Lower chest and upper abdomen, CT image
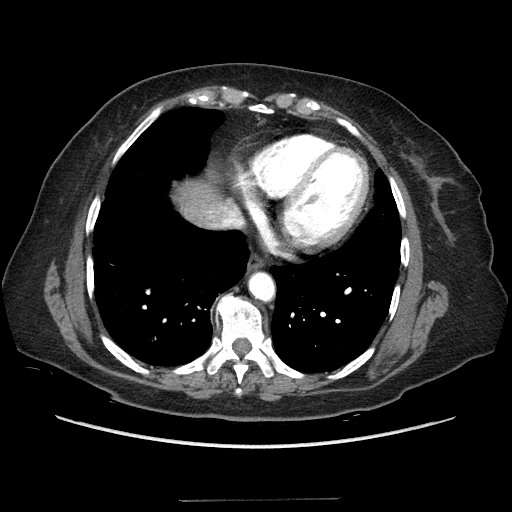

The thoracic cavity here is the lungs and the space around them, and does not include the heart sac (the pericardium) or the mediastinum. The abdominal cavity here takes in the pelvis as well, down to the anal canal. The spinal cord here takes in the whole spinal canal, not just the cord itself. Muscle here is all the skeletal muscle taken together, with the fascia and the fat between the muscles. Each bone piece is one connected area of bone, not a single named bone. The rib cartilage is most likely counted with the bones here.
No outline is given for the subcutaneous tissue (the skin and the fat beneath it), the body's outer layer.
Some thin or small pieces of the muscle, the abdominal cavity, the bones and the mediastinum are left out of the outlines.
pericardium: 259 124; 311 124; 334 129; 351 139; 365 154; 373 173; 371 201; 363 219; 353 233; 335 249; 308 257; 297 263; 270 260; 264 256; 256 242; 254 229; 242 216; 233 196; 226 192; 218 168; 218 156; 223 148; 236 136; 244 134
thoracic cavity 1: 183 106; 220 110; 225 117; 211 133; 202 169; 172 179; 167 198; 173 209; 196 227; 240 230; 249 254; 240 279; 213 301; 213 321; 219 330; 207 349; 183 364; 151 365; 125 351; 103 324; 94 298; 93 232; 118 161; 162 113
thoracic cavity 2: 378 168; 381 169; 388 181; 400 219; 401 230; 400 265; 387 316; 371 344; 339 369; 324 372; 301 371; 284 362; 273 347; 269 327; 275 308; 277 286; 272 274; 272 267; 299 264; 312 258; 320 258; 346 243; 374 203; 374 176
spinal cord: 239 338; 245 338; 246 339; 247 339; 247 340; 250 343; 250 344; 251 345; 251 348; 250 349; 250 350; 242 356; 240 356; 239 355; 238 355; 235 352; 235 351; 232 347; 232 344; 233 343; 233 342; 236 339; 238 339
bones 1: 225 293; 240 296; 259 309; 263 330; 269 333; 274 351; 288 366; 305 373; 304 377; 293 378; 278 372; 266 377; 252 360; 247 362; 240 384; 231 360; 225 361; 213 374; 203 369; 185 374; 171 371; 208 349; 220 330; 212 309; inner edge: 239 338; 245 338; 246 339; 247 339; 247 340; 250 343; 250 344; 251 345; 251 348; 250 349; 250 350; 242 356; 240 356; 239 355; 238 355; 235 352; 235 351; 232 347; 232 344; 233 343; 233 342; 236 339; 238 339
bones 2: 222 85; 247 91; 250 95; 247 100; 251 103; 273 107; 278 96; 294 92; 299 99; 315 100; 320 105; 319 112; 326 116; 276 107; 274 113; 266 114; 245 107; 227 107; 222 101; 190 105; 187 102; 188 94; 204 90; 218 92
bones 3: 158 105; 163 105; 164 107; 163 109; 163 111; 158 116; 158 117; 139 135; 139 136; 134 141; 134 142; 127 149; 127 150; 117 161; 114 167; 112 167; 112 160; 120 145; 127 138; 127 137; 141 122; 141 121; 154 108; 155 108
bones 4: 100 333; 102 333; 109 337; 118 346; 119 346; 125 352; 131 356; 137 362; 138 362; 142 366; 147 368; 150 371; 149 374; 147 375; 144 375; 138 372; 136 372; 118 360; 105 347; 99 337; 99 334
bones 5: 371 345; 374 345; 375 346; 375 350; 374 352; 372 354; 372 355; 357 369; 356 369; 351 373; 348 374; 346 376; 339 378; 338 379; 329 379; 327 378; 327 375; 334 373; 336 371; 339 370; 346 364; 359 356
bones 6: 96 194; 99 194; 100 196; 100 199; 101 200; 100 208; 97 215; 97 218; 94 225; 93 231; 88 236; 87 236; 86 235; 86 232; 85 231; 85 226; 86 225; 86 220; 87 219; 88 209; 89 208; 89 206; 91 203; 92 199
bones 7: 389 174; 393 176; 400 190; 400 192; 403 199; 404 206; 405 207; 405 218; 404 219; 401 219; 400 218; 400 216; 396 206; 396 203; 395 202; 395 200; 391 190; 391 187; 390 186; 389 181; 387 178; 387 175
bones 8: 88 253; 90 253; 91 254; 91 255; 92 256; 92 259; 93 260; 93 282; 94 283; 94 289; 93 290; 93 298; 92 299; 92 300; 91 300; 89 298; 89 296; 88 295; 88 292; 87 291; 87 287; 86 286; 86 256
bones 9: 397 282; 400 284; 400 294; 399 295; 399 300; 398 301; 398 304; 397 305; 396 310; 394 313; 394 315; 392 319; 390 321; 389 321; 388 320; 388 311; 389 310; 389 307; 390 306; 391 298; 392 297; 392 294; 394 290; 394 287
bones 10: 334 117; 340 117; 341 118; 343 118; 347 121; 348 121; 350 123; 351 123; 354 126; 355 126; 364 138; 364 139; 365 140; 365 142; 362 142; 355 136; 352 135; 343 126; 342 126; 340 124; 339 124; 337 122; 336 122; 334 120
bones 11: 402 235; 406 235; 407 236; 407 237; 408 238; 408 241; 409 242; 409 259; 408 260; 408 263; 407 264; 407 266; 406 267; 404 267; 402 265; 401 265; 401 261; 400 260; 400 247; 401 246; 401 239; 402 238
muscle 1: 215 84; 221 85; 218 91; 188 93; 189 105; 166 111; 163 104; 154 107; 117 148; 103 199; 96 193; 90 201; 84 231; 87 237; 92 233; 92 249; 85 256; 85 286; 109 336; 100 332; 99 339; 118 361; 144 376; 151 371; 136 360; 151 366; 173 367; 170 371; 175 375; 203 370; 213 375; 231 361; 239 385; 250 361; 257 364; 266 378; 278 373; 302 379; 306 373; 335 371; 326 378; 338 380; 373 355; 374 339; 386 318; 389 322; 393 319; 399 304; 400 266; 406 268; 410 259; 409 238; 401 229; 401 220; 406 218; 404 199; 396 179; 384 173; 362 143; 366 140; 355 125; 340 116; 304 117; 327 115; 320 112; 321 105; 315 99; 299 98; 298 94; 343 112; 373 137; 409 193; 422 242; 423 279; 440 281; 448 290; 447 310; 435 320; 425 351; 377 386; 357 392; 285 395; 276 401; 222 394; 197 399; 182 391; 102 373; 65 344; 43 297; 46 272; 53 258; 57 263; 66 258; 76 215; 102 165; 153 104; inner edge: 238 386; 239 386; 240 387; 241 388; 241 389; 241 390; 242 391; 242 392; 242 393; 241 394; 241 395; 240 396; 239 396; 238 396; 237 395; 236 395; 235 394; 235 393; 234 392; 234 391; 235 390; 235 389; 236 388; 237 387
muscle 2: 249 92; 251 92; 253 93; 259 98; 262 98; 267 95; 269 95; 275 92; 289 92; 282 93; 278 95; 274 99; 274 101; 273 102; 273 106; 272 105; 268 105; 264 102; 251 102; 249 101; 248 100; 251 96
torso: 219 62; 283 65; 377 87; 401 101; 452 145; 481 186; 480 199; 493 240; 491 267; 507 293; 499 334; 489 355; 371 411; 312 421; 245 423; 173 416; 114 402; 105 392; 18 351; 2 278; 51 163; 76 131; 126 87; 170 70
abdominal cavity: 212 146; 217 153; 217 168; 219 169; 221 182; 223 183; 223 187; 225 188; 225 192; 227 194; 219 199; 215 204; 201 210; 195 216; 192 223; 182 217; 174 209; 168 198; 168 192; 172 180; 180 180; 187 175; 194 176; 203 169
mediastinum 1: 227 195; 232 196; 241 216; 253 229; 255 242; 263 256; 270 261; 295 263; 271 267; 276 290; 268 333; 264 330; 264 317; 255 304; 240 295; 225 292; 241 279; 246 270; 250 252; 243 232; 238 228; 207 229; 193 223; 201 211
mediastinum 2: 216 102; 224 103; 227 108; 245 109; 266 115; 278 110; 290 110; 307 115; 304 118; 328 118; 355 137; 379 167; 374 175; 366 154; 351 138; 334 128; 311 123; 259 123; 236 135; 218 155; 211 137; 226 116; 220 109; 198 106